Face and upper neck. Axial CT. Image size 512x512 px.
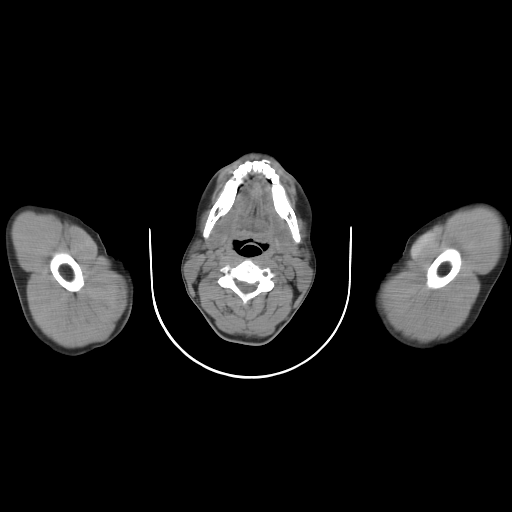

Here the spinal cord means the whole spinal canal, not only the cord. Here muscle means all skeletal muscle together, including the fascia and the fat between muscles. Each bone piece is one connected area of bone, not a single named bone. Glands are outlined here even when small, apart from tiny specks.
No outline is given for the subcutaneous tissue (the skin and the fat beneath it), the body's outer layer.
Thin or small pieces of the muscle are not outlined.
{"right_arm":[[[28,203],[51,206],[76,215],[98,232],[107,252],[114,257],[121,259],[128,267],[134,283],[134,297],[131,313],[123,329],[107,344],[80,355],[64,355],[52,350],[40,341],[28,326],[20,307],[9,269],[4,244],[4,229],[8,217],[18,206]]],"bones":[[[261,159],[268,159],[279,176],[279,181],[296,216],[300,234],[299,243],[295,243],[287,222],[275,210],[270,181],[263,174],[252,171],[244,177],[238,187],[230,209],[217,219],[205,239],[202,233],[209,212],[225,183],[233,175],[233,171],[247,160]],{"outer":[[247,257],[249,257],[254,263],[262,268],[269,267],[275,275],[272,278],[274,283],[272,289],[267,292],[259,293],[251,298],[244,305],[238,295],[230,288],[222,287],[217,282],[217,280],[223,274],[220,271],[220,268],[227,264],[231,267],[233,267]],"hole":[[236,280],[237,280],[238,281],[240,281],[241,282],[245,282],[248,284],[254,284],[255,283],[256,283],[257,284],[256,285],[256,287],[254,290],[253,290],[252,291],[250,291],[249,292],[243,292],[237,286],[237,285],[236,284]]},[[446,248],[454,248],[460,253],[460,255],[461,256],[461,265],[460,266],[460,269],[454,278],[444,286],[440,288],[437,288],[436,289],[431,289],[430,288],[428,288],[426,286],[426,272],[427,271],[427,269],[431,263],[435,259],[435,258]],[[56,252],[66,252],[68,253],[78,263],[80,266],[80,268],[81,269],[81,271],[84,278],[84,284],[80,290],[76,292],[72,292],[71,291],[67,290],[64,287],[63,287],[53,276],[50,270],[49,264],[50,263],[50,260],[51,258]]],"parotid_glands":[[[197,238],[199,238],[201,240],[201,241],[202,242],[202,243],[201,244],[201,245],[200,246],[199,249],[197,251],[196,251],[191,254],[188,254],[189,253],[189,251],[190,250],[190,249],[191,248],[192,245],[194,243],[194,242],[196,240],[196,239]],[[303,248],[308,248],[308,250],[309,251],[309,253],[310,254],[310,256],[309,257],[309,258],[307,258],[306,257],[305,257],[300,252],[301,251],[301,249],[302,249]]],"left_arm":[[[473,200],[489,201],[497,205],[505,212],[510,234],[510,250],[507,261],[476,321],[463,336],[452,343],[432,349],[416,349],[405,346],[394,339],[386,331],[375,312],[373,296],[376,287],[392,262],[400,256],[407,238],[412,233],[438,214],[454,206]]],"spinal_cord":[[[236,280],[237,280],[238,281],[240,281],[241,282],[245,282],[248,284],[254,284],[255,283],[256,283],[257,284],[256,285],[256,287],[254,290],[253,290],[252,291],[250,291],[249,292],[243,292],[237,286],[237,285],[236,284]]],"head_and_neck":[{"outer":[[253,150],[267,152],[273,155],[302,186],[312,208],[313,226],[311,242],[316,256],[315,278],[307,296],[290,321],[271,341],[263,345],[235,343],[224,340],[218,336],[189,298],[180,273],[181,259],[194,231],[196,206],[205,186],[219,168],[245,152]],"hole":[[236,240],[251,240],[258,244],[266,244],[267,245],[267,247],[264,250],[263,250],[261,252],[260,252],[255,255],[246,256],[245,255],[243,255],[240,253],[238,253],[238,252],[237,251],[236,251],[236,250],[234,247],[234,241],[235,241]]}],"muscle":[{"outer":[[250,156],[261,156],[272,160],[292,180],[297,192],[298,202],[301,212],[306,222],[305,237],[306,247],[301,248],[299,252],[307,259],[309,259],[310,257],[310,265],[312,269],[312,275],[309,284],[297,304],[276,329],[265,337],[248,337],[244,335],[229,334],[219,329],[205,312],[196,297],[190,290],[184,274],[184,264],[188,258],[188,255],[197,252],[203,243],[202,240],[198,237],[199,220],[219,174],[236,162]],"holes":[[[261,159],[268,159],[279,176],[296,216],[299,243],[295,243],[287,222],[275,210],[270,181],[263,174],[252,171],[238,187],[230,209],[217,219],[209,234],[210,237],[215,232],[225,235],[223,242],[207,247],[202,235],[203,229],[225,183],[240,164]],[[236,240],[251,240],[258,244],[266,244],[264,250],[249,257],[260,267],[269,267],[275,275],[272,278],[274,283],[272,289],[259,293],[245,305],[230,288],[222,287],[217,282],[223,274],[220,268],[227,264],[233,267],[247,257],[236,251],[234,247]],[[283,231],[285,231],[287,232],[288,234],[289,234],[289,237],[291,240],[291,245],[290,247],[287,250],[285,251],[282,251],[278,249],[278,247],[276,244],[276,240],[278,238],[280,234]]]},{"outer":[[26,209],[52,212],[79,225],[93,238],[100,252],[110,260],[111,265],[114,269],[125,278],[128,287],[127,304],[114,328],[105,339],[81,347],[66,348],[47,337],[34,322],[28,307],[26,297],[26,283],[15,256],[10,233],[14,218],[18,213]],"hole":[[56,252],[66,252],[68,253],[78,263],[80,266],[80,268],[81,269],[81,271],[84,278],[84,284],[80,290],[76,292],[72,292],[71,291],[67,290],[64,287],[63,287],[53,276],[50,270],[49,264],[50,263],[50,260],[51,258]]},{"outer":[[478,205],[487,206],[493,209],[502,220],[503,248],[497,264],[484,278],[469,315],[459,329],[444,338],[426,343],[420,343],[405,338],[389,324],[380,308],[378,297],[383,283],[390,276],[396,273],[403,265],[413,242],[419,235],[454,212],[466,207]],"hole":[[446,248],[454,248],[460,253],[460,255],[461,256],[461,265],[460,266],[460,269],[454,278],[444,286],[440,288],[437,288],[436,289],[431,289],[430,288],[428,288],[426,286],[426,272],[427,271],[427,269],[431,263],[435,259],[435,258]]}],"submandibular_glands":[[[283,231],[285,231],[287,232],[288,234],[289,234],[289,237],[291,240],[291,245],[290,247],[287,250],[285,251],[282,251],[278,249],[278,247],[276,244],[276,240],[278,238],[280,234]],[[215,232],[218,232],[221,234],[223,234],[224,235],[225,235],[225,237],[223,240],[223,242],[221,244],[219,244],[218,245],[215,245],[213,247],[207,247],[207,246],[205,244],[205,240],[206,239],[208,239],[211,236],[212,236],[213,235],[213,234]]]}